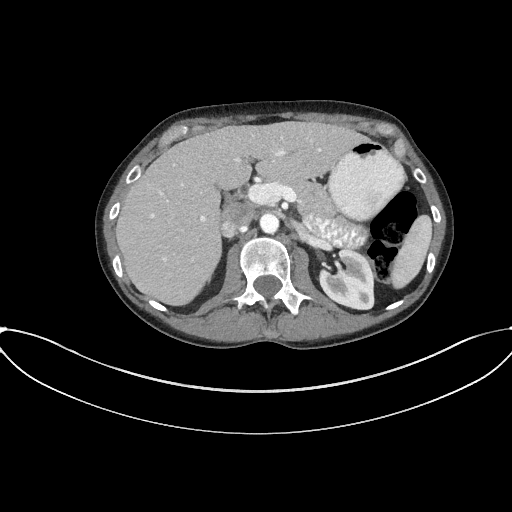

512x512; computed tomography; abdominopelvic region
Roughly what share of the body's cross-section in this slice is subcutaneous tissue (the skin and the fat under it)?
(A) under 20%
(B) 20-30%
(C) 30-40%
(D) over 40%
(A) under 20%
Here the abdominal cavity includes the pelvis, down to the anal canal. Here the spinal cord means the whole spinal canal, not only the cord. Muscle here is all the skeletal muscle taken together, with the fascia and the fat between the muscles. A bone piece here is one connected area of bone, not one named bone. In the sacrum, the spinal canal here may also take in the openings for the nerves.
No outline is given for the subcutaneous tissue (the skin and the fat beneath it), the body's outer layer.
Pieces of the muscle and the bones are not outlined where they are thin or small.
abdominal cavity: (184, 313) (219, 291) (233, 244) (242, 246) (263, 235) (281, 241) (289, 254) (295, 245) (305, 249) (316, 287) (349, 311) (373, 311) (401, 298) (420, 281) (433, 235) (419, 183) (384, 141) (328, 122) (268, 117) (213, 128) (167, 147) (132, 184) (114, 231) (134, 289)
spinal cord: (268, 299) (269, 299) (269, 298) (271, 297) (271, 296) (273, 295) (280, 288) (281, 286) (281, 283) (280, 281) (277, 278) (271, 275) (267, 275) (266, 276) (261, 276) (260, 277) (258, 277) (255, 280) (254, 282) (254, 286) (256, 290)
torso: (294, 349) (329, 347) (371, 336) (401, 323) (425, 302) (444, 270) (454, 239) (452, 205) (440, 175) (400, 119) (365, 104) (334, 99) (256, 100) (196, 106) (167, 116) (123, 158) (99, 197) (94, 236) (104, 275) (136, 316) (177, 340) (209, 348) (233, 348) (266, 341)
muscle: (224, 342) (243, 341) (244, 340) (259, 338) (260, 337) (278, 338) (282, 340) (287, 340) (288, 341) (301, 341) (302, 340) (323, 339) (324, 338) (338, 336) (342, 334) (348, 334) (355, 331) (361, 330) (374, 324) (379, 323) (395, 315) (412, 304) (423, 293) (432, 277) (432, 275) (435, 270) (435, 267) (438, 262) (439, 255) (442, 247) (442, 243) (446, 231) (446, 217) (445, 216) (444, 209) (442, 206) (442, 203) (430, 174) (424, 166) (421, 160) (413, 150) (403, 133) (396, 125) (387, 121) (373, 119) (363, 116) (342, 114) (341, 113) (322, 113) (321, 112) (292, 112) (291, 111) (288, 111) (287, 112) (281, 112) (280, 113) (237, 114) (236, 115) (218, 116) (217, 117) (195, 117) (194, 118) (186, 118) (176, 121) (159, 135) (153, 138) (131, 160) (127, 167) (124, 170) (117, 184) (115, 186) (114, 190) (105, 207) (103, 214) (103, 225) (102, 226) (103, 227) (103, 235) (106, 243) (106, 251) (109, 257) (109, 261) (110, 262) (109, 263) (113, 275) (124, 293) (136, 305) (150, 314) (157, 317) (171, 327) (189, 335) (201, 337) (214, 341) (223, 341), around holes outlined by (295, 315) (300, 303) (312, 298) (291, 282) (289, 253) (295, 245) (306, 250) (316, 287) (352, 312) (395, 308) (415, 288) (425, 270) (432, 272) (435, 257) (429, 249) (433, 222) (438, 223) (441, 217) (438, 209) (426, 202) (419, 185) (426, 182) (426, 177) (418, 167) (411, 170) (384, 141) (354, 129) (328, 122) (268, 117) (199, 133) (167, 147) (143, 170) (138, 164) (131, 168) (125, 182) (132, 185) (124, 201) (121, 205) (117, 201) (109, 211) (109, 218) (116, 219) (114, 231) (119, 253) (113, 257) (112, 265) (119, 277) (124, 273) (134, 289) (147, 296) (156, 309) (191, 312) (219, 291) (227, 251) (237, 243) (241, 247) (239, 264) (247, 280) (245, 290) (232, 298) (238, 308) (259, 302) (268, 309) (280, 300) and by (159, 146) (162, 146) (163, 145) (165, 145) (169, 143) (171, 141) (172, 141) (176, 137) (180, 135) (183, 135) (185, 134) (189, 130) (189, 127) (186, 125) (179, 125) (178, 126) (176, 126) (175, 127) (173, 127) (172, 128) (168, 129) (161, 136) (160, 140) (159, 141) and by (387, 135) (392, 135) (394, 133) (394, 130) (392, 127) (391, 127) (389, 125) (388, 125) (387, 124) (385, 124) (384, 123) (379, 123) (378, 124) (376, 124) (375, 125) (375, 129) (377, 131) (378, 131) (379, 132) (380, 132) (383, 134) (386, 134) and by (399, 157) (400, 157) (401, 156) (402, 156) (405, 154) (405, 148) (404, 147) (404, 145) (403, 144) (403, 142) (402, 141) (402, 139) (399, 137) (398, 138) (397, 138) (394, 141) (394, 142) (393, 143) (393, 145) (394, 146) (394, 150) (395, 151) (396, 154)
bones 1: (295, 315) (298, 313) (300, 303) (312, 298) (293, 286) (290, 278) (290, 257) (285, 246) (278, 240) (265, 236) (248, 240) (239, 253) (239, 264) (247, 280) (246, 287) (232, 300) (237, 303) (238, 308) (245, 304) (252, 305) (259, 302) (266, 309) (280, 300) with a hole at (268, 299) (269, 299) (269, 298) (271, 297) (271, 296) (273, 295) (280, 288) (281, 286) (281, 283) (280, 281) (277, 278) (271, 275) (267, 275) (266, 276) (261, 276) (260, 277) (258, 277) (255, 280) (254, 282) (254, 286) (256, 290)
bones 2: (159, 146) (162, 146) (163, 145) (165, 145) (169, 143) (171, 141) (172, 141) (176, 137) (180, 135) (183, 135) (185, 134) (189, 130) (189, 127) (186, 125) (179, 125) (178, 126) (176, 126) (175, 127) (173, 127) (172, 128) (168, 129) (161, 136) (160, 140) (159, 141)
bones 3: (127, 184) (128, 184) (129, 183) (131, 183) (132, 182) (135, 181) (139, 177) (139, 176) (141, 174) (141, 172) (142, 171) (142, 169) (141, 168) (141, 167) (138, 164) (136, 164) (135, 165) (134, 165) (128, 172) (128, 173) (126, 176) (126, 178) (125, 179) (125, 182)
bones 4: (399, 157) (400, 157) (401, 156) (402, 156) (405, 154) (405, 148) (404, 147) (404, 145) (403, 144) (403, 142) (402, 141) (402, 139) (399, 137) (398, 138) (397, 138) (394, 141) (394, 142) (393, 143) (393, 145) (394, 146) (394, 150) (395, 151) (396, 154)
bones 5: (387, 135) (392, 135) (394, 133) (394, 130) (392, 127) (391, 127) (389, 125) (388, 125) (387, 124) (385, 124) (384, 123) (379, 123) (378, 124) (376, 124) (375, 125) (375, 129) (377, 131) (378, 131) (379, 132) (380, 132) (383, 134) (386, 134)
bones 6: (420, 183) (425, 183) (426, 182) (426, 177) (425, 176) (425, 175) (424, 174) (424, 173) (418, 167) (416, 167) (414, 169) (413, 169) (412, 170) (412, 174) (413, 175) (413, 176) (416, 179) (416, 180) (417, 181) (418, 181)
bones 7: (165, 312) (166, 312) (167, 311) (167, 308) (165, 306) (162, 305) (160, 303) (157, 302) (155, 300) (153, 300) (152, 299) (149, 299) (148, 300) (148, 302) (154, 308) (155, 308) (156, 309) (158, 309) (159, 310) (161, 310) (162, 311) (164, 311)